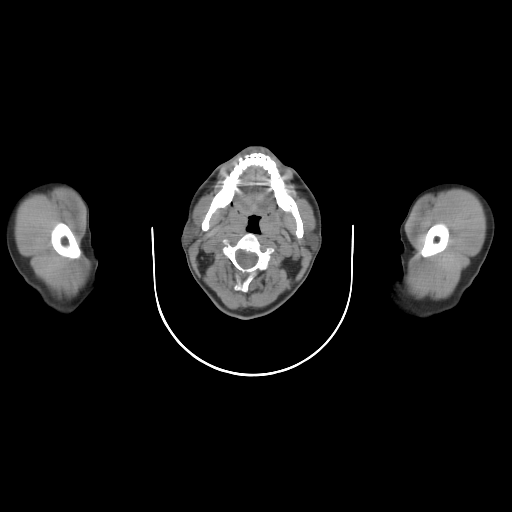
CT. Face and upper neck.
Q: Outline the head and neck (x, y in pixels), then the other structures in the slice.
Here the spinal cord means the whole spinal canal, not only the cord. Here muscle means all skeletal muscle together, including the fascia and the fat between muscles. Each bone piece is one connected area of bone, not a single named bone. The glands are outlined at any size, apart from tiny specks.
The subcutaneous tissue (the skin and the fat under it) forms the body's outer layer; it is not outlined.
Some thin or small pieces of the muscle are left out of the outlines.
A: {"head_and_neck":[{"outer":[[250,145],[261,145],[267,147],[284,164],[292,167],[311,190],[320,209],[322,221],[322,243],[308,276],[285,303],[267,315],[244,320],[228,316],[221,312],[197,284],[188,268],[185,254],[181,246],[180,237],[187,218],[191,198],[197,188],[219,164]],"hole":[[250,216],[258,216],[259,217],[259,220],[258,221],[258,227],[259,228],[259,232],[258,232],[257,233],[254,233],[253,232],[252,232],[251,231],[248,231],[247,230],[247,229],[246,228],[247,227],[247,225],[248,224],[248,218]]}],"spinal_cord":[[[237,250],[244,250],[246,252],[251,252],[252,253],[254,253],[255,254],[256,254],[256,255],[257,256],[257,259],[256,260],[256,262],[252,266],[251,266],[250,267],[247,267],[246,268],[245,268],[244,267],[242,267],[236,260],[236,251]]],"muscle":[{"outer":[[237,157],[209,202],[200,222],[201,230],[206,232],[216,210],[232,201],[244,171],[257,166],[267,173],[277,205],[291,214],[294,234],[311,254],[301,277],[274,301],[259,308],[227,307],[197,274],[188,250],[199,232],[192,217],[196,203],[220,169]],"hole":[[250,216],[259,217],[259,232],[255,235],[261,248],[263,250],[271,247],[274,250],[270,254],[267,267],[263,270],[257,270],[247,287],[247,291],[242,291],[234,288],[238,271],[223,253],[222,249],[224,239],[226,238],[234,244],[248,231],[246,228]]},{"outer":[[452,187],[469,190],[479,198],[486,214],[486,236],[480,251],[473,257],[472,263],[466,273],[460,280],[454,292],[448,298],[429,301],[415,299],[405,292],[405,277],[407,273],[407,262],[409,259],[405,223],[414,204],[421,196],[428,192],[436,192]],"hole":[[436,223],[443,223],[445,224],[445,225],[448,228],[448,230],[449,231],[449,237],[448,238],[447,245],[442,251],[428,257],[423,257],[420,254],[420,250],[423,246],[423,243],[424,242],[424,238],[425,237],[425,235],[429,228],[432,225]]},{"outer":[[56,185],[65,186],[73,190],[85,206],[86,248],[91,256],[92,261],[92,271],[87,283],[75,297],[69,300],[59,300],[50,293],[44,284],[35,276],[33,271],[19,253],[14,238],[15,214],[20,203],[30,194],[35,193],[42,188],[52,187]],"hole":[[59,222],[63,222],[65,224],[66,224],[72,231],[75,237],[75,239],[78,243],[79,247],[81,250],[81,254],[78,258],[72,259],[71,258],[68,258],[67,257],[62,256],[60,255],[54,249],[51,243],[51,231],[56,225],[56,224]]},[[270,156],[291,172],[293,179],[299,186],[299,189],[307,198],[309,203],[312,206],[313,213],[315,217],[315,228],[314,230],[311,230],[305,233],[304,222],[301,216],[299,206],[292,196],[290,190],[287,187],[284,177],[281,175],[277,167],[276,162]]],"right_arm":[[[51,180],[60,180],[73,185],[81,193],[87,202],[90,210],[91,243],[98,258],[98,277],[94,290],[77,309],[68,315],[61,315],[47,307],[43,303],[37,292],[24,281],[10,258],[5,239],[6,221],[10,209],[16,200],[26,190],[31,187]]],"left_arm":[[[442,182],[461,182],[474,187],[483,194],[493,211],[495,231],[487,256],[459,303],[441,313],[427,318],[420,318],[404,314],[394,308],[388,299],[386,286],[390,280],[398,278],[402,274],[400,253],[403,245],[400,240],[399,228],[412,200],[422,190]]],"bones":[[[252,152],[264,153],[275,162],[298,206],[304,230],[301,238],[295,234],[296,223],[292,214],[278,205],[269,184],[268,173],[257,165],[251,165],[243,171],[231,201],[217,208],[209,220],[209,228],[202,230],[201,222],[225,176],[238,162],[239,156]],{"outer":[[247,232],[255,234],[263,250],[267,247],[271,247],[274,250],[270,254],[267,267],[263,270],[257,270],[247,287],[247,291],[242,291],[236,290],[234,288],[238,271],[223,253],[222,249],[224,246],[224,239],[226,238],[232,244],[234,244]],"hole":[[237,250],[244,250],[246,252],[251,252],[252,253],[254,253],[255,254],[256,254],[256,255],[257,256],[257,259],[256,260],[256,262],[252,266],[251,266],[250,267],[247,267],[246,268],[245,268],[244,267],[242,267],[236,260],[236,251]]},[[59,222],[63,222],[65,224],[66,224],[72,231],[75,237],[75,239],[78,243],[79,247],[81,250],[81,254],[78,258],[72,259],[71,258],[68,258],[67,257],[62,256],[60,255],[54,249],[51,243],[51,231],[56,225],[56,224]],[[436,223],[443,223],[445,224],[445,225],[448,228],[448,230],[449,231],[449,237],[448,238],[447,245],[442,251],[428,257],[423,257],[420,254],[420,250],[423,246],[423,243],[424,242],[424,238],[425,237],[425,235],[429,228],[432,225]]],"parotid_glands":[[[311,231],[314,231],[314,232],[316,234],[316,235],[317,236],[317,245],[316,246],[315,249],[314,249],[311,252],[311,253],[310,252],[309,249],[306,246],[305,246],[302,243],[302,238],[304,236],[304,235],[305,234],[306,234],[307,233],[308,233]],[[192,223],[193,223],[193,224],[194,225],[195,225],[198,228],[198,232],[197,233],[197,234],[195,236],[195,238],[194,239],[194,240],[189,245],[188,245],[188,244],[187,243],[186,243],[186,232],[187,231],[187,230],[188,229],[189,226]]]}